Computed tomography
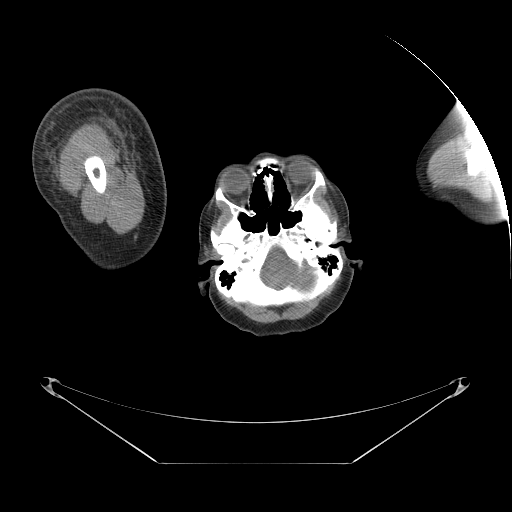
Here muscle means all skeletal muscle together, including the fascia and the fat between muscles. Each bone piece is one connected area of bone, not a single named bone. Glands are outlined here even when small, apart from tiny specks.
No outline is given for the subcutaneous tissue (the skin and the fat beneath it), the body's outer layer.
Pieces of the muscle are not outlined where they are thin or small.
Outlines (x, y in pixels):
parotid glands 1: [[343,223],[343,224],[344,225],[344,228],[345,229],[345,230],[344,231],[344,234],[343,235],[341,235],[340,234],[339,234],[339,233],[338,232],[338,231],[339,230],[339,229],[342,226],[342,225],[343,224]]
parotid glands 2: [[205,243],[206,243],[206,244],[207,245],[207,247],[208,248],[208,249],[209,250],[209,251],[210,252],[210,256],[209,255],[206,255],[205,254],[205,251],[204,250],[204,246],[205,245]]
bones 1: [[313,167],[325,180],[314,199],[337,222],[339,276],[313,299],[281,306],[224,296],[210,229],[218,233],[231,213],[216,201],[217,187],[238,205],[249,197],[255,215],[239,214],[246,230],[267,224],[275,234],[300,219],[288,211],[290,194],[312,186]], around a hole outlined by [[275,247],[281,249],[285,255],[295,264],[296,267],[299,270],[304,267],[304,263],[312,269],[311,273],[314,276],[314,279],[309,287],[299,288],[293,286],[289,283],[281,288],[275,288],[264,282],[261,277],[261,271],[268,257],[268,255],[272,249]]
bones 2: [[264,157],[275,157],[279,160],[283,166],[283,174],[289,189],[288,191],[282,176],[277,171],[271,170],[270,172],[274,177],[272,203],[269,203],[267,194],[263,187],[263,174],[259,174],[253,183],[250,174],[250,170],[256,167],[254,162]]
bones 3: [[92,155],[97,155],[99,156],[103,160],[103,162],[105,166],[105,169],[106,170],[106,187],[103,193],[99,193],[95,190],[91,182],[89,180],[86,174],[86,172],[85,171],[85,168],[84,167],[84,164],[83,163],[85,159],[87,157],[91,156]]
brain: [[275,247],[281,249],[285,255],[295,264],[296,267],[299,270],[304,267],[304,263],[312,269],[311,273],[314,276],[314,279],[309,287],[299,288],[293,286],[289,283],[281,288],[275,288],[264,282],[261,277],[261,271],[268,257],[268,255],[272,249]]
head: [[266,150],[305,153],[321,164],[349,210],[352,241],[335,245],[343,245],[363,265],[354,271],[340,306],[323,322],[301,332],[257,336],[225,321],[209,297],[199,293],[198,275],[206,278],[211,265],[221,262],[197,263],[198,224],[219,170]]; inner edge: [[271,171],[283,179],[289,194],[287,211],[299,213],[299,219],[289,226],[280,222],[275,233],[270,233],[267,223],[261,230],[246,229],[240,214],[250,218],[256,215],[250,207],[250,196],[259,175],[262,174],[261,183],[268,203],[273,203],[275,177]]
left arm: [[456,102],[459,102],[465,108],[475,123],[485,141],[500,179],[503,194],[505,198],[506,213],[505,219],[501,223],[494,226],[482,226],[473,223],[466,219],[450,205],[436,203],[427,199],[422,195],[416,186],[414,178],[414,168],[418,154],[434,129]]
muscle 1: [[91,119],[101,119],[116,133],[129,152],[133,170],[144,191],[146,206],[143,219],[137,228],[125,235],[117,235],[105,225],[94,224],[86,221],[80,213],[79,209],[70,201],[71,198],[58,181],[56,175],[55,167],[58,154],[70,132],[73,128]], around a hole outlined by [[92,155],[97,155],[99,156],[103,160],[103,162],[105,166],[105,169],[106,170],[106,187],[103,193],[99,193],[95,190],[91,182],[89,180],[86,174],[86,172],[85,171],[85,168],[84,167],[84,164],[83,163],[85,159],[87,157],[91,156]]
muscle 2: [[475,128],[478,129],[483,137],[492,157],[500,179],[505,202],[485,203],[481,200],[477,200],[469,193],[464,191],[445,188],[439,189],[437,187],[433,186],[426,177],[426,167],[430,155],[435,152],[442,144],[453,139],[462,133],[470,131]]
muscle 3: [[344,260],[345,270],[342,280],[331,298],[314,312],[295,320],[280,320],[265,324],[252,321],[228,309],[214,292],[212,284],[213,279],[216,289],[224,297],[236,303],[247,304],[254,307],[281,307],[287,304],[313,300],[325,292],[340,276],[344,266]]
muscle 4: [[214,196],[214,199],[216,202],[223,202],[227,205],[230,213],[230,217],[224,223],[218,232],[216,231],[215,227],[213,225],[209,229],[209,239],[213,249],[219,255],[219,260],[211,256],[211,252],[207,243],[205,242],[206,216],[209,203],[211,198]]
muscle 5: [[325,178],[330,183],[335,190],[336,193],[340,198],[342,204],[342,224],[338,230],[338,222],[337,219],[336,218],[333,218],[332,219],[330,217],[329,214],[315,199],[315,194],[317,190],[319,188],[322,188],[323,190],[326,187],[326,180]]
right arm: [[85,87],[103,87],[115,90],[130,99],[141,110],[153,133],[165,176],[167,190],[166,215],[159,238],[145,256],[138,261],[117,270],[100,269],[86,257],[66,232],[57,214],[39,193],[32,171],[32,143],[36,128],[43,115],[59,98],[69,92]]